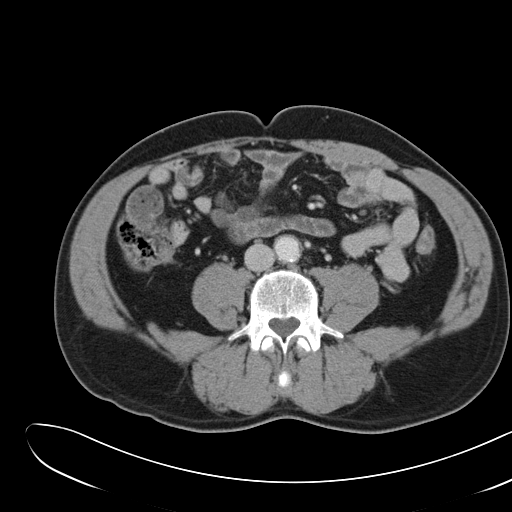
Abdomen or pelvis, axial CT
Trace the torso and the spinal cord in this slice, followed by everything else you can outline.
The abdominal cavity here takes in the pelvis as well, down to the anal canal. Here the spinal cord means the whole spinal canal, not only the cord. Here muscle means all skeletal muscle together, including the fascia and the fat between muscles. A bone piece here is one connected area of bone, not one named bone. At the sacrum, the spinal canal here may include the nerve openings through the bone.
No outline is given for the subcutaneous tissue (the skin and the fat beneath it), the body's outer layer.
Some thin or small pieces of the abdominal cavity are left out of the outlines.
{"torso":[[[302,104],[337,107],[384,124],[441,164],[486,210],[502,244],[510,296],[508,339],[490,382],[451,414],[375,434],[291,418],[239,431],[194,432],[91,394],[70,371],[53,318],[59,246],[86,190],[127,148],[175,122],[220,110],[251,112],[267,122]]],"spinal_cord":[[[289,318],[294,318],[296,319],[299,322],[299,323],[298,325],[294,329],[294,330],[292,332],[288,334],[285,337],[282,337],[279,334],[278,334],[275,331],[274,331],[271,328],[269,324],[269,322],[272,319],[288,319]]],"abdominal_cavity":[[[260,141],[382,167],[429,197],[457,253],[435,325],[351,331],[380,303],[372,268],[353,262],[312,267],[316,286],[296,269],[265,271],[246,303],[252,274],[214,262],[196,276],[190,297],[223,334],[135,323],[106,261],[124,195],[161,163]]],"muscle":[{"outer":[[236,136],[331,139],[355,143],[378,150],[397,162],[430,170],[445,179],[471,205],[490,242],[493,269],[480,316],[468,327],[436,337],[390,362],[383,368],[383,376],[377,378],[375,386],[352,404],[316,415],[287,399],[279,400],[271,409],[254,416],[232,410],[227,413],[212,411],[196,396],[190,376],[186,376],[175,362],[131,333],[101,328],[87,319],[71,286],[69,254],[78,221],[96,192],[135,166],[194,145]],"holes":[[[260,141],[382,167],[429,197],[457,253],[435,325],[351,331],[380,303],[372,268],[353,262],[309,270],[319,317],[343,334],[323,334],[316,351],[228,340],[249,319],[253,276],[221,262],[190,297],[223,334],[135,323],[106,261],[124,195],[161,163]],[[283,369],[285,369],[289,373],[289,374],[290,375],[290,379],[291,380],[291,382],[290,383],[290,384],[289,385],[288,385],[287,386],[286,386],[285,387],[282,387],[281,386],[280,386],[279,385],[278,385],[278,375],[279,374],[279,373]]]}],"bones":[{"outer":[[279,269],[296,270],[312,280],[318,292],[319,317],[326,325],[339,330],[342,338],[323,334],[316,351],[298,349],[294,342],[285,356],[278,345],[273,351],[251,350],[250,339],[246,335],[228,340],[228,336],[249,319],[249,294],[255,281],[263,273]],"hole":[[289,318],[294,318],[296,319],[299,322],[299,323],[298,325],[294,329],[294,330],[292,332],[288,334],[285,337],[282,337],[279,334],[278,334],[275,331],[274,331],[271,328],[269,324],[269,322],[272,319],[288,319]]},[[283,369],[285,369],[289,373],[289,374],[290,375],[290,379],[291,380],[291,382],[290,383],[290,384],[289,385],[288,385],[287,386],[286,386],[285,387],[282,387],[281,386],[280,386],[279,385],[278,385],[278,375],[279,374],[279,373]]]}